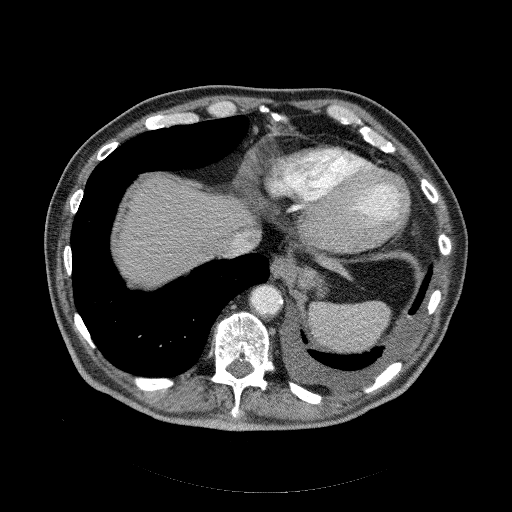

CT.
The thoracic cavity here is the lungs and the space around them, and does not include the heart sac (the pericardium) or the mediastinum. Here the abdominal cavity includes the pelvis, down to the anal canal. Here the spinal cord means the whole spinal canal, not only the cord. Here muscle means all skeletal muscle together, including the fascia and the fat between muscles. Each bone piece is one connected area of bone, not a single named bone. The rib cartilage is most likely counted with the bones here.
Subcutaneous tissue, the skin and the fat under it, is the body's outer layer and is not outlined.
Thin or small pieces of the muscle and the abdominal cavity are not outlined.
Outlines:
thoracic cavity 1: (237, 114) (248, 118) (249, 127) (225, 157) (136, 176) (117, 205) (109, 253) (130, 291) (153, 292) (208, 262) (250, 253) (267, 256) (268, 277) (221, 309) (207, 354) (189, 370) (173, 377) (123, 370) (98, 349) (74, 301) (70, 240) (87, 180) (99, 162) (144, 131)
thoracic cavity 2: (430, 266) (433, 268) (432, 276) (409, 344) (397, 360) (390, 363) (371, 383) (340, 393) (321, 394) (294, 382) (286, 373) (274, 353) (270, 336) (280, 329) (291, 311) (299, 331) (304, 334) (309, 346) (316, 351) (352, 355) (368, 352) (375, 347) (386, 348) (400, 331)
bones 1: (240, 311) (253, 314) (266, 327) (270, 338) (269, 353) (275, 370) (264, 374) (268, 383) (265, 390) (256, 386) (243, 389) (239, 402) (243, 413) (233, 417) (230, 413) (234, 405) (233, 390) (227, 384) (212, 382) (209, 379) (214, 372) (214, 359) (207, 355) (218, 321), around a hole outlined by (235, 360) (238, 360) (239, 361) (245, 361) (246, 362) (249, 363) (250, 364) (250, 365) (252, 367) (252, 370) (249, 373) (248, 373) (247, 374) (246, 374) (245, 375) (244, 375) (241, 377) (236, 377) (234, 375) (233, 375) (227, 369) (227, 367) (232, 362) (233, 362)
bones 2: (330, 104) (341, 105) (353, 111) (365, 124) (368, 125) (387, 140) (390, 141) (396, 147) (395, 152) (394, 153) (388, 153) (382, 151) (377, 147) (371, 145) (365, 141) (358, 132) (356, 126) (353, 125) (345, 125) (340, 123) (331, 117) (329, 117) (326, 114) (325, 109)
bones 3: (188, 111) (195, 112) (200, 116) (200, 120) (197, 122) (189, 123) (188, 124) (175, 124) (167, 127) (161, 127) (152, 130) (145, 130) (145, 127) (143, 123) (148, 117) (152, 115) (155, 115) (156, 114) (169, 114) (175, 112) (187, 112)
bones 4: (135, 376) (142, 376) (143, 377) (148, 377) (149, 378) (160, 378) (161, 377) (171, 378) (174, 380) (174, 384) (172, 386) (166, 389) (157, 389) (156, 390) (152, 390) (151, 391) (146, 390) (145, 391) (138, 388) (135, 385) (135, 384) (133, 382) (133, 378)
bones 5: (396, 361) (400, 361) (402, 363) (402, 366) (401, 367) (401, 369) (397, 374) (396, 374) (387, 383) (375, 389) (373, 391) (371, 392) (369, 392) (368, 393) (365, 393) (363, 391) (363, 389) (365, 387) (371, 384) (374, 381) (375, 378) (378, 375) (379, 375) (390, 364)
bones 6: (222, 100) (229, 100) (230, 101) (232, 101) (236, 105) (237, 107) (237, 109) (236, 110) (236, 114) (234, 115) (231, 115) (230, 116) (227, 116) (226, 117) (212, 118) (212, 117) (207, 113) (206, 111) (206, 108) (211, 103) (213, 103) (217, 101) (221, 101)
bones 7: (289, 380) (290, 381) (292, 381) (294, 383) (314, 393) (317, 393) (318, 394) (320, 394) (322, 396) (322, 402) (320, 404) (312, 404) (309, 402) (307, 402) (304, 400) (302, 400) (300, 399) (297, 396) (296, 396) (293, 393) (291, 392) (289, 388) (288, 383) (287, 382)
bones 8: (76, 311) (81, 317) (85, 326) (87, 328) (90, 334) (91, 339) (93, 341) (94, 344) (96, 346) (96, 348) (92, 348) (89, 345) (87, 341) (76, 329) (75, 327) (75, 325) (74, 324) (74, 320) (73, 319) (73, 314) (74, 312)
bones 9: (421, 178) (425, 178) (435, 188) (435, 189) (436, 190) (436, 191) (438, 194) (438, 200) (436, 203) (435, 203) (434, 204) (432, 204) (428, 200) (428, 199) (426, 197) (426, 196) (424, 194) (424, 193) (422, 191) (422, 190) (420, 187) (420, 184) (419, 183) (419, 180)
bones 10: (262, 104) (264, 104) (268, 106) (271, 109) (273, 110) (276, 110) (279, 112) (284, 112) (287, 115) (288, 117) (288, 121) (285, 123) (281, 121) (279, 121) (278, 122) (273, 122) (271, 119) (271, 117) (268, 113) (262, 113) (259, 111) (258, 108) (259, 106)
bones 11: (440, 233) (444, 233) (445, 234) (446, 234) (449, 237) (449, 238) (450, 239) (450, 241) (451, 242) (451, 249) (450, 250) (450, 252) (448, 255) (443, 255) (442, 254) (441, 254) (439, 252) (439, 250) (438, 249) (438, 243) (437, 242) (437, 240) (438, 239) (438, 235)
bones 12: (112, 141) (118, 141) (119, 142) (119, 145) (117, 147) (116, 147) (105, 158) (104, 158) (102, 160) (101, 160) (100, 161) (98, 161) (96, 159) (96, 157) (97, 156) (97, 153) (98, 152) (98, 151) (99, 150) (99, 149) (103, 145) (104, 145) (107, 143) (109, 143)
bones 13: (79, 188) (82, 188) (83, 189) (83, 195) (82, 196) (81, 201) (79, 204) (79, 206) (77, 209) (77, 211) (75, 213) (75, 214) (73, 215) (71, 214) (71, 212) (70, 211) (70, 204) (69, 202) (70, 201) (70, 198) (72, 194) (77, 189)
bones 14: (437, 288) (438, 289) (439, 289) (441, 292) (441, 298) (440, 299) (440, 300) (439, 301) (436, 308) (434, 310) (434, 311) (431, 314) (429, 314) (427, 311) (427, 303) (428, 302) (428, 300) (429, 299) (429, 297) (430, 296) (431, 293) (435, 289) (436, 289)
bones 15: (67, 244) (69, 244) (70, 245) (70, 249) (71, 250) (71, 263) (72, 264) (71, 265) (72, 266) (71, 267) (71, 275) (70, 276) (69, 276) (67, 274) (67, 272) (65, 269) (65, 267) (64, 266) (64, 263) (63, 262) (63, 248) (64, 247) (64, 246)
spinal cord: (235, 360) (238, 360) (239, 361) (245, 361) (246, 362) (249, 363) (250, 364) (250, 365) (252, 367) (252, 370) (249, 373) (248, 373) (247, 374) (246, 374) (245, 375) (244, 375) (241, 377) (236, 377) (234, 375) (233, 375) (227, 369) (227, 367) (232, 362) (233, 362)
mediastinum 1: (268, 254) (271, 254) (273, 256) (277, 264) (277, 267) (275, 268) (275, 275) (287, 290) (287, 293) (289, 294) (291, 300) (291, 310) (283, 324) (277, 331) (270, 335) (264, 323) (249, 311) (236, 311) (217, 320) (220, 312) (230, 300) (250, 286) (263, 283) (268, 279)
mediastinum 2: (310, 114) (327, 116) (342, 125) (350, 126) (357, 131) (365, 142) (401, 160) (411, 171) (421, 191) (433, 206) (435, 217) (422, 222) (416, 221) (416, 214) (419, 209) (418, 200) (420, 198) (416, 193) (416, 188) (410, 176) (391, 157) (344, 137) (309, 132) (306, 116)
mediastinum 3: (254, 111) (257, 111) (265, 115) (265, 119) (267, 120) (267, 122) (265, 123) (265, 128) (267, 130) (243, 152) (243, 154) (239, 159) (236, 160) (234, 157) (235, 156) (234, 154) (231, 153) (236, 149) (246, 136) (250, 127) (249, 118) (245, 114) (242, 114) (247, 114)
abdominal cavity: (284, 106) (310, 112) (315, 135) (264, 158) (255, 177) (291, 216) (303, 247) (357, 254) (435, 218) (433, 267) (386, 347) (312, 348) (271, 253) (213, 259) (149, 292) (130, 290) (112, 260) (117, 208) (139, 174) (230, 154) (237, 161) (268, 130) (266, 116) (289, 121)
pericardium: (317, 134) (344, 138) (391, 158) (409, 176) (419, 198) (415, 221) (408, 222) (396, 237) (382, 245) (357, 253) (324, 253) (303, 246) (298, 241) (292, 216) (265, 198) (258, 185) (256, 172) (264, 159) (281, 150) (307, 144) (311, 141) (312, 136)
torso: (210, 84) (329, 87) (364, 95) (393, 112) (417, 135) (450, 184) (468, 234) (461, 295) (437, 350) (417, 379) (396, 398) (354, 419) (326, 427) (225, 431) (155, 419) (93, 388) (78, 373) (54, 317) (44, 261) (46, 214) (58, 180) (77, 149) (128, 108) (158, 94)
muscle: (221, 94) (258, 97) (259, 98) (264, 97) (277, 101) (290, 101) (291, 100) (298, 101) (299, 100) (309, 100) (310, 99) (337, 98) (355, 103) (373, 116) (390, 133) (409, 149) (418, 161) (422, 164) (423, 167) (430, 174) (445, 201) (455, 241) (455, 254) (452, 266) (453, 269) (451, 275) (451, 282) (449, 285) (447, 299) (441, 313) (440, 323) (437, 332) (432, 341) (422, 354) (397, 380) (386, 389) (384, 389) (381, 392) (371, 398) (365, 400) (346, 412) (323, 419) (290, 420) (289, 419) (281, 419) (258, 415) (255, 415) (251, 418) (229, 418) (216, 413) (202, 412) (201, 411) (197, 412) (194, 411) (191, 412) (168, 412) (160, 409) (156, 409) (136, 399) (130, 393) (108, 377) (100, 369) (92, 364) (92, 362) (86, 357) (82, 347) (79, 345) (78, 340) (72, 331) (71, 327) (62, 311) (59, 299) (57, 296) (57, 291) (55, 285) (56, 251) (57, 250) (57, 242) (60, 227) (62, 225) (61, 216) (65, 201) (76, 182) (76, 179) (79, 172) (89, 157) (108, 139) (111, 138) (119, 131) (144, 115) (154, 111) (165, 109) (189, 100) (196, 99) (204, 96) (220, 95); inner edges: (222, 100) (232, 101) (237, 114) (258, 112) (264, 104) (279, 112) (291, 106) (326, 116) (328, 105) (344, 106) (396, 147) (392, 154) (418, 183) (425, 178) (435, 188) (436, 232) (449, 237) (451, 249) (448, 255) (436, 251) (415, 332) (397, 359) (401, 369) (373, 391) (363, 391) (368, 383) (324, 393) (320, 404) (302, 400) (291, 392) (287, 382) (292, 379) (271, 342) (275, 370) (264, 374) (266, 389) (245, 387) (239, 402) (243, 413) (233, 417) (232, 388) (209, 379) (212, 357) (206, 354) (172, 377) (172, 386) (145, 391) (133, 382) (134, 374) (110, 362) (76, 329) (63, 248) (70, 243) (75, 216) (70, 198) (85, 187) (99, 163) (99, 149) (143, 132) (152, 115) (192, 111) (201, 120) (211, 119) (206, 108), then (437, 288) (438, 289) (439, 289) (441, 292) (441, 298) (440, 299) (440, 300) (439, 301) (436, 308) (434, 310) (434, 311) (431, 314) (429, 314) (427, 311) (427, 303) (428, 302) (428, 300) (429, 299) (429, 297) (430, 296) (431, 293) (435, 289) (436, 289)